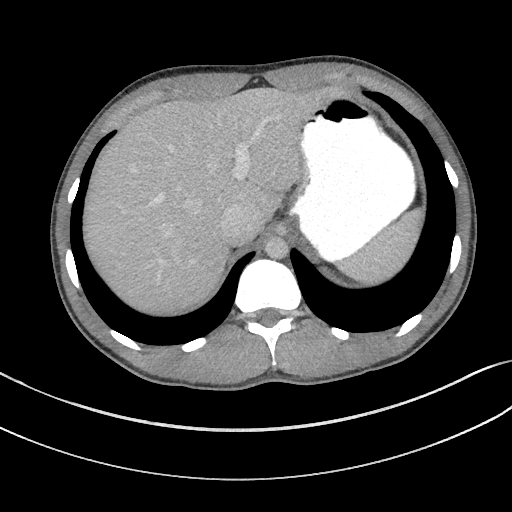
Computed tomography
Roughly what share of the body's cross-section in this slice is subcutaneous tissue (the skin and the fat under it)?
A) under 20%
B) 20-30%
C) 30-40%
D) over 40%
A) under 20%
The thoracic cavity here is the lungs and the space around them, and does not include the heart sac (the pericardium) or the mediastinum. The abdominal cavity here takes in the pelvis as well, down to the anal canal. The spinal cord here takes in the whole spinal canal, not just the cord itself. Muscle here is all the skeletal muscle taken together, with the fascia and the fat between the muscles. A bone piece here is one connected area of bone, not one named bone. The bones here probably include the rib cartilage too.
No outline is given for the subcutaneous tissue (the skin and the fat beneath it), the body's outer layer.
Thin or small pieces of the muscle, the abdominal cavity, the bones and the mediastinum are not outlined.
bones 1: [[272,366],[275,366],[277,363],[274,352],[279,336],[296,327],[293,321],[295,311],[302,300],[302,296],[293,270],[283,263],[263,258],[250,262],[243,269],[239,277],[234,305],[245,318],[246,323],[244,328],[250,333],[260,336],[266,343],[271,355]]; inner edge: [[266,326],[272,326],[279,319],[279,313],[276,310],[274,310],[273,309],[268,309],[267,310],[265,310],[264,311],[263,311],[259,315],[259,316],[258,317],[258,320],[259,321],[259,322],[260,322],[262,324],[263,324],[264,325],[265,325]]
bones 2: [[418,120],[420,120],[422,117],[422,113],[420,109],[418,107],[417,104],[410,99],[404,93],[392,85],[390,85],[374,79],[364,77],[363,76],[357,76],[356,77],[355,80],[358,83],[360,83],[379,93],[381,93],[389,97],[398,103],[404,109]]
bones 3: [[103,132],[110,131],[123,117],[124,117],[134,108],[140,105],[142,105],[153,99],[157,99],[161,97],[164,97],[164,94],[165,93],[163,91],[161,91],[157,89],[153,89],[152,90],[133,96],[114,110],[108,116],[108,117],[101,125],[101,131]]
bones 4: [[77,289],[81,289],[81,286],[78,279],[77,271],[76,270],[76,267],[75,266],[75,263],[74,262],[74,259],[73,258],[71,248],[68,248],[66,250],[66,253],[65,254],[65,265],[66,266],[68,276],[73,285]]
bones 5: [[450,274],[451,274],[455,270],[459,262],[459,259],[461,254],[461,242],[460,241],[459,235],[457,233],[455,233],[453,238],[453,243],[451,248],[450,261],[449,262],[449,265],[447,270],[448,273]]
bones 6: [[395,337],[400,337],[406,334],[413,328],[414,328],[419,323],[419,322],[421,320],[422,318],[422,314],[421,313],[419,313],[413,316],[411,318],[408,319],[405,322],[404,322],[399,327],[398,330],[395,333],[394,335]]
bones 7: [[138,351],[141,350],[141,348],[135,341],[134,341],[133,340],[130,339],[128,337],[115,331],[113,329],[109,329],[109,333],[115,340],[116,340],[119,343],[122,344],[124,346],[126,346],[131,349],[133,349],[134,350],[137,350]]
bones 8: [[184,352],[190,352],[191,351],[195,351],[196,350],[201,348],[206,344],[206,343],[207,342],[207,339],[205,337],[201,337],[200,338],[195,339],[192,341],[190,341],[187,343],[178,345],[178,346],[180,348],[180,349]]
bones 9: [[453,189],[456,189],[458,187],[458,179],[457,178],[457,176],[454,170],[452,168],[450,164],[447,161],[447,160],[445,159],[444,160],[444,165],[445,166],[445,169],[447,173],[447,176],[449,179],[449,181]]
bones 10: [[71,206],[75,198],[75,196],[76,195],[76,193],[78,189],[78,186],[79,185],[79,182],[80,181],[80,177],[79,176],[78,176],[73,182],[68,192],[68,194],[67,195],[67,202],[68,204]]
abdominal cavity: [[154,316],[184,314],[210,303],[238,260],[275,234],[345,288],[386,281],[409,261],[426,217],[426,182],[405,132],[363,93],[376,92],[347,78],[293,90],[256,78],[222,97],[157,100],[119,123],[87,180],[83,245],[94,270],[116,295]]
muscle: [[219,385],[240,383],[250,378],[256,377],[268,370],[280,370],[291,375],[296,376],[301,379],[313,379],[319,377],[326,377],[355,369],[359,369],[362,367],[365,367],[380,361],[397,356],[407,350],[416,341],[423,336],[448,309],[456,297],[463,281],[466,270],[468,249],[469,248],[468,244],[470,239],[470,227],[471,226],[471,210],[469,204],[469,196],[468,195],[468,190],[465,177],[457,157],[452,149],[452,147],[450,145],[445,134],[431,113],[413,94],[393,80],[373,70],[365,68],[362,66],[349,64],[348,63],[338,63],[337,62],[307,63],[306,64],[282,67],[258,73],[208,72],[207,73],[181,74],[176,76],[164,77],[151,81],[140,86],[125,95],[121,99],[113,104],[96,122],[79,147],[68,170],[67,175],[62,186],[56,209],[56,224],[55,225],[55,237],[56,238],[57,251],[59,256],[61,278],[66,295],[74,312],[81,323],[93,336],[105,346],[111,349],[116,354],[122,357],[129,363],[140,370],[151,375],[163,378],[187,381],[192,383],[208,383],[209,384],[218,384]]; inner edge: [[272,366],[303,299],[340,340],[396,326],[400,337],[459,262],[457,176],[417,104],[392,85],[357,76],[286,90],[256,78],[214,98],[153,89],[108,116],[101,131],[111,132],[68,192],[67,273],[115,340],[138,351],[138,342],[195,351],[234,305]]
mediastinum: [[292,269],[293,269],[292,268],[292,265],[289,259],[289,252],[291,249],[294,247],[294,246],[285,238],[279,235],[275,235],[267,242],[261,245],[253,251],[256,253],[251,261],[257,258],[265,257],[266,258],[275,259],[278,261],[283,262]]
torso: [[214,393],[240,392],[268,382],[315,387],[391,368],[424,346],[461,302],[477,242],[471,179],[439,116],[413,87],[391,72],[362,59],[332,54],[258,64],[168,67],[120,90],[72,148],[55,188],[49,224],[54,279],[68,316],[97,350],[144,381]]
spinal cord: [[266,326],[272,326],[279,319],[279,313],[276,310],[274,310],[273,309],[268,309],[267,310],[265,310],[264,311],[263,311],[259,315],[259,316],[258,317],[258,320],[259,321],[259,322],[260,322],[262,324],[263,324],[264,325],[265,325]]
thoracic cavity 1: [[350,332],[389,329],[420,312],[443,279],[455,232],[453,191],[433,140],[419,121],[398,104],[372,92],[364,93],[389,112],[416,147],[426,177],[427,217],[410,261],[386,282],[351,290],[328,281],[295,248],[290,252],[303,299],[309,308],[329,325]]
thoracic cavity 2: [[151,345],[177,345],[217,327],[230,311],[238,277],[255,253],[244,255],[212,302],[192,313],[154,317],[139,313],[119,299],[93,270],[81,239],[86,180],[112,132],[97,144],[82,172],[71,212],[71,247],[82,288],[100,317],[111,328]]